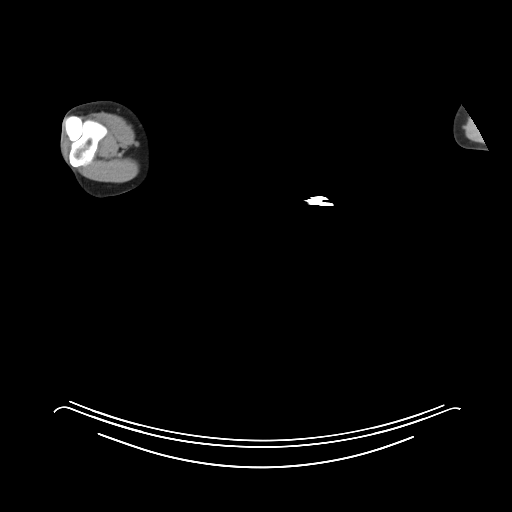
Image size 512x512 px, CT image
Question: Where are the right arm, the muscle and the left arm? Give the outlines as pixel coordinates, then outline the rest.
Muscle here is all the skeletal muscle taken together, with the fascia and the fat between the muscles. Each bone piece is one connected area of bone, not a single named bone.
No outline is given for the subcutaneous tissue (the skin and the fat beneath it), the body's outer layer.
Answer: The right arm is outlined by 97,100 112,100 119,102 129,107 138,116 147,132 149,138 151,155 149,173 145,180 140,185 119,195 103,198 94,197 82,189 71,170 62,159 59,149 59,140 61,133 62,120 65,113 70,108 76,105. The muscle appears in 2 outlined pieces: piece 1: 75,111 106,111 128,121 130,119 141,146 141,160 133,178 111,185 84,178 74,169 92,161 99,142 108,133 102,123 89,118 83,120 75,114 64,120 64,132 71,142 68,163 66,161 62,153 62,120; piece 2: 468,113 471,117 471,118 473,120 474,123 476,125 484,141 484,144 479,144 478,143 476,143 475,142 470,141 466,139 466,138 464,136 464,134 463,133 463,130 461,127 462,125 461,124 464,120 466,115. The left arm is outlined by 460,105 461,105 464,108 464,109 469,114 469,115 473,120 474,123 476,125 484,141 484,143 487,148 487,150 474,150 473,149 466,149 458,145 455,141 453,137 453,119 454,118 455,113 458,107. The bones are outlined by 73,115 78,116 83,121 89,119 96,121 105,126 107,129 107,133 98,142 97,148 94,154 94,157 91,161 84,165 80,165 76,167 73,167 69,164 69,152 72,142 65,132 64,128 65,127 65,120.